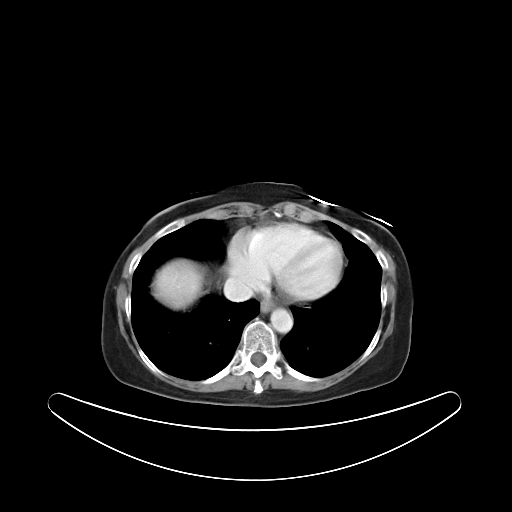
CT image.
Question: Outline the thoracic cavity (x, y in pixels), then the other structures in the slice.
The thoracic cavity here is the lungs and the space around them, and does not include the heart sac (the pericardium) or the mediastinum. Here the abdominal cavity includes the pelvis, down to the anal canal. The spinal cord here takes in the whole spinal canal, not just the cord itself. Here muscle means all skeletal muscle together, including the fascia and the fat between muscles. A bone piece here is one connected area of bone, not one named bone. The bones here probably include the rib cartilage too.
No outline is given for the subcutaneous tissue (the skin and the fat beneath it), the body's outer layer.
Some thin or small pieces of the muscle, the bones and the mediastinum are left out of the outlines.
Answer: The thoracic cavity appears in 2 outlined pieces: piece 1: 198 219; 222 222; 225 231; 217 235; 224 260; 172 256; 153 270; 149 295; 174 313; 190 312; 210 294; 237 303; 256 300; 259 311; 244 326; 227 364; 206 378; 192 380; 163 371; 139 345; 131 323; 131 290; 133 274; 152 244; piece 2: 326 221; 339 225; 367 245; 373 252; 382 270; 379 290; 381 310; 378 326; 363 352; 342 369; 318 377; 305 374; 292 367; 284 357; 279 343; 294 326; 292 307; 309 308; 314 302; 329 294; 340 283; 348 265; 349 260; 343 246. The torso is outlined by 253 181; 297 184; 332 203; 353 201; 379 217; 397 237; 410 266; 414 304; 409 354; 401 373; 393 381; 328 401; 288 407; 254 407; 171 399; 126 385; 110 373; 100 344; 102 298; 110 270; 122 249; 142 224; 159 210; 200 192. The abdominal cavity is outlined by 175 256; 191 258; 194 260; 204 262; 208 265; 207 266; 210 269; 211 273; 211 276; 209 280; 209 291; 210 293; 203 297; 193 309; 184 313; 174 312; 162 306; 150 295; 148 290; 148 286; 150 283; 150 280; 154 270; 168 259. The spinal cord is outlined by 257 352; 259 352; 260 353; 261 353; 262 354; 263 354; 265 356; 265 361; 261 365; 260 365; 259 366; 257 366; 256 365; 255 365; 251 361; 251 357; 252 356; 252 355; 254 353; 256 353. The pericardium is outlined by 280 221; 302 222; 308 224; 312 227; 328 232; 340 242; 346 256; 345 257; 347 260; 347 264; 337 286; 323 297; 315 301; 309 299; 296 302; 271 300; 247 287; 241 281; 232 277; 228 273; 227 259; 231 239; 235 231; 254 222. The muscle appears in 4 outlined pieces: piece 1: 371 237; 389 252; 396 266; 397 284; 394 327; 382 348; 351 375; 324 389; 299 392; 291 389; 269 388; 263 392; 261 377; 266 372; 280 380; 283 376; 283 368; 290 376; 298 380; 318 382; 322 377; 342 370; 358 358; 358 361; 361 362; 374 349; 382 332; 381 328; 378 327; 381 311; 386 306; 388 298; 387 286; 382 283; 382 271; 388 270; 389 264; 380 249; 373 251; 370 248; piece 2: 153 234; 153 243; 148 249; 144 253; 140 250; 136 252; 129 262; 127 272; 130 276; 132 275; 131 289; 124 298; 126 319; 131 324; 140 358; 148 369; 156 375; 167 377; 168 374; 185 380; 199 381; 204 385; 214 383; 230 373; 241 376; 251 372; 254 378; 252 391; 256 394; 244 389; 197 392; 173 386; 155 377; 139 362; 128 347; 119 330; 116 286; 121 279; 124 264; 131 252; piece 3: 233 201; 248 201; 262 205; 272 205; 282 201; 291 201; 300 203; 314 210; 322 212; 316 213; 316 219; 315 214; 312 211; 308 209; 301 209; 297 211; 296 206; 291 202; 285 204; 282 207; 281 211; 274 209; 272 211; 272 215; 266 215; 262 217; 230 216; 224 218; 228 212; 225 209; 217 209; 207 212; 204 215; 205 218; 198 218; 188 223; 184 218; 181 217; 200 212; 223 203; inner edge: 244 206; 248 206; 249 207; 250 207; 251 208; 252 208; 253 209; 253 212; 252 213; 252 214; 251 215; 248 215; 245 212; 242 212; 241 211; 240 211; 240 208; 241 208; 242 207; 243 207; piece 4: 335 218; 336 218; 338 220; 339 220; 342 222; 344 222; 345 223; 346 223; 347 224; 348 224; 349 225; 354 227; 351 228; 350 229; 350 230; 349 231; 348 231; 347 230; 346 230; 343 227; 342 227; 339 224; 339 222. The mediastinum appears in 2 outlined pieces: piece 1: 266 216; 300 221; 254 221; 236 229; 226 270; 271 301; 314 301; 309 307; 291 307; 293 326; 279 342; 273 329; 256 317; 260 311; 256 299; 237 302; 211 293; 212 273; 205 262; 225 260; 226 249; 218 234; 226 228; 220 220; piece 2: 315 220; 325 220; 325 222; 327 226; 329 228; 330 231; 332 233; 332 234; 331 234; 328 231; 326 231; 323 229; 321 229; 320 228; 318 228; 317 227; 312 226; 308 223; 306 223; 308 223; 309 222; 311 222. The bones appear in 12 outlined pieces: piece 1: 255 318; 272 329; 283 357; 292 368; 320 380; 298 379; 283 367; 280 379; 268 371; 263 373; 260 377; 263 390; 257 394; 253 391; 255 378; 251 371; 241 375; 230 372; 214 382; 201 383; 201 380; 228 364; 240 345; 245 326, around a hole outlined by 257 352; 259 352; 260 353; 261 353; 262 354; 263 354; 265 356; 265 361; 261 365; 260 365; 259 366; 257 366; 256 365; 255 365; 251 361; 251 357; 252 356; 252 355; 254 353; 256 353; piece 2: 291 203; 295 206; 297 212; 299 212; 301 210; 308 210; 314 214; 315 219; 306 222; 305 221; 298 220; 295 218; 289 217; 286 215; 284 215; 281 217; 274 216; 273 215; 273 211; 274 210; 281 212; 283 209; 283 207; 285 205; piece 3: 178 218; 182 218; 186 221; 187 223; 184 226; 174 231; 172 231; 160 237; 155 241; 153 240; 153 236; 154 234; 158 230; 159 230; 166 224; piece 4: 138 346; 139 346; 141 348; 141 349; 148 357; 148 358; 159 369; 160 369; 163 372; 167 374; 167 376; 163 376; 162 375; 159 375; 158 374; 156 374; 152 371; 151 371; 149 369; 149 368; 145 364; 145 363; 141 358; 138 352; piece 5: 378 328; 380 328; 381 332; 380 333; 380 335; 379 336; 379 338; 378 339; 377 343; 375 345; 373 349; 368 354; 368 355; 364 359; 363 359; 361 361; 359 361; 359 357; 364 352; 364 351; 369 345; 374 334; 376 332; piece 6: 353 228; 357 228; 358 229; 363 231; 365 233; 366 233; 370 237; 370 238; 371 239; 371 242; 368 245; 367 244; 364 243; 362 241; 359 240; 353 235; 352 235; 352 234; 350 232; 350 231; 351 230; 351 229; 352 229; piece 7: 140 251; 141 252; 142 252; 143 253; 143 254; 142 255; 142 256; 141 257; 141 258; 140 259; 137 266; 135 268; 133 273; 131 275; 130 275; 128 272; 130 262; 131 261; 132 258; 134 256; 134 255; 136 253; 137 253; piece 8: 376 250; 380 250; 383 253; 383 254; 385 256; 385 257; 387 260; 387 263; 388 264; 388 269; 382 269; 382 268; 381 267; 381 266; 380 265; 380 264; 379 263; 379 262; 378 261; 378 260; 374 253; 374 251; 375 251; piece 9: 217 210; 225 210; 227 212; 227 213; 225 215; 225 216; 223 218; 222 218; 221 219; 215 219; 214 218; 206 218; 205 217; 205 215; 207 213; 209 213; 210 212; 213 212; 214 211; 216 211; piece 10: 129 294; 130 294; 130 296; 131 297; 131 314; 130 315; 130 321; 129 321; 127 319; 127 316; 126 315; 126 312; 125 311; 125 298; 126 297; 126 296; 127 295; 128 295; piece 11: 381 284; 384 284; 386 286; 386 289; 387 290; 387 298; 386 299; 386 303; 385 304; 385 306; 383 308; 382 308; 382 307; 381 306; 381 300; 380 299; 380 290; 381 289; piece 12: 317 213; 322 213; 323 214; 325 214; 328 216; 330 216; 331 217; 332 217; 333 218; 334 218; 338 222; 338 224; 337 223; 335 223; 334 222; 333 222; 330 220; 326 220; 325 219; 318 219; 318 216; 317 215.